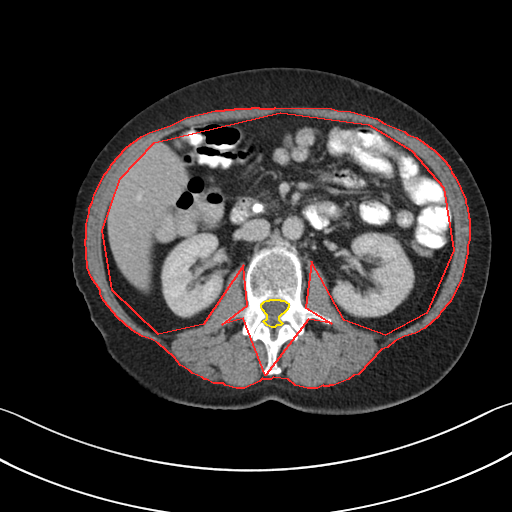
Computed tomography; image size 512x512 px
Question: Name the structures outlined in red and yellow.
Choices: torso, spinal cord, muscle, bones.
Answer: red: muscle; yellow: spinal cord.
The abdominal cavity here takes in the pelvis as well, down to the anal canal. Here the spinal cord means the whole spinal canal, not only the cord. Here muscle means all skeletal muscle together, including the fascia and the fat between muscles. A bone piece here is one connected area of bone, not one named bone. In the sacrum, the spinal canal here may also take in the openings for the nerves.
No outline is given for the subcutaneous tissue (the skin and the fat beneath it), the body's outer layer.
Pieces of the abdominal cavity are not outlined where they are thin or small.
{"muscle":[{"outer":[[252,107],[258,107],[259,108],[274,108],[275,107],[331,108],[337,110],[350,111],[376,118],[384,123],[404,131],[407,134],[416,137],[434,150],[445,161],[450,168],[451,172],[455,177],[465,199],[465,203],[467,207],[468,217],[469,218],[469,239],[467,245],[467,252],[461,279],[449,302],[440,312],[438,316],[424,328],[415,333],[404,336],[394,341],[387,347],[381,349],[358,374],[353,375],[348,379],[333,385],[329,385],[328,386],[324,386],[323,385],[317,388],[307,388],[295,385],[288,379],[273,377],[270,379],[263,379],[262,378],[259,381],[244,388],[236,388],[225,385],[223,383],[213,383],[206,379],[204,379],[202,377],[192,373],[189,370],[180,365],[174,357],[158,343],[151,339],[142,336],[132,330],[117,317],[104,301],[100,294],[100,290],[91,277],[87,267],[85,239],[86,238],[86,224],[89,212],[89,207],[92,202],[94,194],[105,173],[110,167],[111,164],[126,147],[141,136],[149,132],[170,125],[186,117],[215,110],[224,110],[225,109],[234,109],[235,108],[251,108]],"hole":[[280,112],[368,124],[411,150],[443,187],[453,250],[426,313],[385,335],[344,320],[311,261],[305,307],[331,323],[308,319],[265,375],[243,318],[222,324],[247,305],[243,265],[203,324],[158,334],[112,290],[102,230],[120,178],[154,142]]}],"spinal_cord":[[[270,299],[279,299],[280,300],[283,300],[288,303],[288,307],[286,310],[278,317],[278,319],[282,323],[280,325],[276,325],[274,327],[271,327],[267,325],[263,321],[267,318],[267,315],[262,309],[261,307],[261,304],[264,301],[266,300],[269,300]]],"torso":[[[274,66],[341,74],[406,102],[454,146],[486,203],[491,259],[473,333],[451,370],[407,401],[360,414],[321,415],[274,400],[223,410],[158,398],[140,388],[111,358],[75,284],[70,233],[74,201],[90,165],[110,138],[142,109],[180,87],[223,73]]],"bones":[{"outer":[[264,247],[283,247],[299,257],[302,304],[331,319],[329,324],[308,319],[302,335],[284,342],[276,357],[281,372],[273,375],[263,373],[267,364],[265,345],[242,333],[243,318],[237,316],[222,324],[224,319],[246,307],[243,281],[253,255]],"hole":[[270,299],[279,299],[280,300],[283,300],[288,303],[288,307],[286,310],[278,317],[278,319],[282,323],[280,325],[276,325],[274,327],[271,327],[267,325],[263,321],[267,318],[267,315],[262,309],[261,307],[261,304],[264,301],[266,300],[269,300]]}],"abdominal_cavity":[[[280,112],[374,126],[433,171],[451,210],[453,250],[432,305],[393,333],[358,328],[332,304],[317,265],[307,266],[305,306],[300,257],[264,246],[243,280],[243,265],[229,274],[203,324],[172,334],[144,328],[117,299],[102,255],[120,178],[184,127]]]}